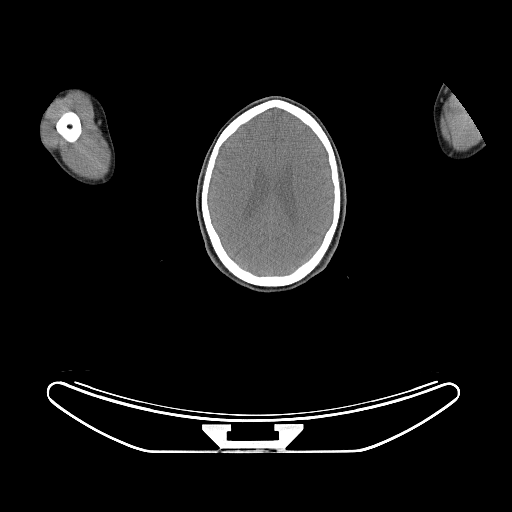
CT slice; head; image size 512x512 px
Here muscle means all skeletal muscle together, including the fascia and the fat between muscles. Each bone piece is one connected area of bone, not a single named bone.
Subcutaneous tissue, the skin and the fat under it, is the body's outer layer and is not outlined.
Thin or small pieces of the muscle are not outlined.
{"bones":[{"outer":[[270,99],[281,99],[292,103],[315,118],[327,135],[332,146],[337,163],[340,184],[339,218],[335,232],[325,254],[320,262],[303,278],[282,286],[255,285],[231,273],[220,261],[212,247],[201,211],[201,190],[204,173],[217,138],[223,129],[242,112]],"hole":[[274,108],[287,112],[297,118],[313,132],[323,146],[327,156],[327,163],[332,184],[332,214],[331,221],[318,247],[305,261],[289,273],[259,275],[242,267],[226,251],[211,218],[208,203],[208,195],[212,174],[222,145],[242,125],[267,110]]},[[67,111],[73,111],[75,112],[79,117],[79,119],[80,120],[80,123],[81,124],[81,133],[79,137],[74,142],[69,142],[67,141],[59,133],[58,133],[56,129],[56,122],[61,116],[61,115],[63,113]]],"left_arm":[[[443,83],[452,92],[453,95],[455,96],[461,105],[465,109],[471,118],[473,123],[477,128],[485,143],[484,148],[471,157],[460,160],[452,159],[446,156],[439,147],[436,137],[435,129],[434,128],[434,123],[433,122],[433,105],[438,90],[441,84]]],"muscle":[{"outer":[[75,90],[83,92],[90,98],[95,116],[97,119],[100,120],[99,127],[102,135],[107,142],[110,150],[111,159],[109,170],[100,179],[87,179],[74,173],[64,163],[59,152],[57,150],[50,149],[45,144],[41,135],[44,113],[48,106],[59,97]],"hole":[[67,111],[73,111],[75,112],[79,117],[79,119],[80,120],[80,123],[81,124],[81,133],[79,137],[74,142],[69,142],[67,141],[59,133],[58,133],[56,129],[56,122],[61,116],[61,115],[63,113]]},[[452,92],[453,95],[455,96],[459,101],[461,105],[465,109],[471,118],[473,123],[477,128],[481,137],[483,139],[483,140],[481,140],[476,145],[471,147],[469,149],[460,152],[454,150],[444,140],[440,131],[440,116],[442,111],[442,106],[448,95]]],"brain":[[[274,108],[287,112],[297,118],[313,132],[323,146],[327,156],[327,163],[332,184],[332,214],[331,221],[318,247],[305,261],[289,273],[259,275],[242,267],[226,251],[211,218],[208,203],[208,195],[212,174],[222,145],[242,125],[267,110]]],"right_arm":[[[71,86],[79,86],[89,90],[99,100],[106,115],[108,128],[115,151],[115,170],[111,179],[106,183],[101,185],[95,185],[94,186],[93,185],[87,185],[70,177],[56,163],[54,159],[44,148],[40,140],[39,124],[42,115],[57,94],[64,88]]],"head":[[[274,94],[287,96],[301,102],[311,109],[324,123],[339,152],[345,176],[347,203],[339,242],[325,269],[306,283],[294,289],[264,293],[238,285],[222,274],[212,263],[206,252],[198,224],[195,194],[198,175],[204,156],[221,126],[232,114],[249,102]]]}